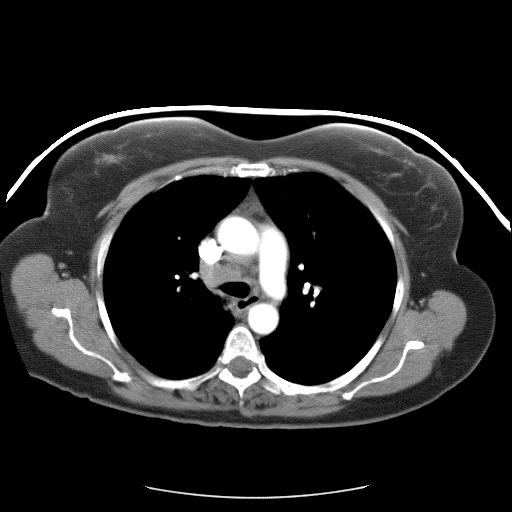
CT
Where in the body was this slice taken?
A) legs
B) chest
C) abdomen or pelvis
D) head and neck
Answer: B) chest
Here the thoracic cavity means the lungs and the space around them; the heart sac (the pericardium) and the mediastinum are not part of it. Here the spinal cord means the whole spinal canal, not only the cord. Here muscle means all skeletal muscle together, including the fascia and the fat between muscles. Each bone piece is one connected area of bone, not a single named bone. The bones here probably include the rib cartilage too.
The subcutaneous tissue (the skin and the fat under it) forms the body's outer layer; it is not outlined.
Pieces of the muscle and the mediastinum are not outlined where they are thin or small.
The thoracic cavity is outlined by [[301,171],[330,177],[361,202],[393,251],[391,311],[372,345],[317,384],[269,367],[259,342],[279,325],[291,251],[251,183],[197,246],[199,277],[233,317],[220,353],[193,376],[152,373],[118,339],[103,293],[110,244],[126,215],[184,178],[252,182]]. The mediastinum is outlined by [[251,184],[265,210],[284,233],[290,251],[290,264],[286,277],[287,293],[279,308],[278,325],[274,331],[262,337],[258,344],[246,325],[242,323],[234,325],[233,315],[224,309],[220,298],[206,287],[200,277],[198,251],[200,241],[217,222],[244,198]]. The bones appear in 8 outlined pieces: piece 1: [[237,324],[248,328],[274,373],[302,385],[317,385],[342,375],[379,335],[385,338],[368,365],[338,389],[274,394],[262,386],[261,378],[244,390],[240,404],[238,390],[216,376],[187,390],[154,386],[139,372],[173,380],[201,374],[215,364],[227,335]]; inner edge: [[239,356],[241,356],[243,357],[251,363],[251,370],[249,372],[248,372],[245,376],[243,376],[242,377],[239,377],[238,376],[236,376],[234,375],[230,371],[229,369],[229,367],[228,366],[230,362],[233,359]]; piece 2: [[259,161],[263,161],[270,166],[279,169],[284,167],[297,167],[301,169],[297,172],[290,172],[285,175],[265,177],[238,177],[222,176],[216,174],[200,174],[184,177],[154,190],[174,175],[188,169],[212,165],[230,166],[236,165],[241,162]]; piece 3: [[53,307],[67,307],[70,310],[73,333],[76,339],[86,349],[103,356],[120,371],[127,372],[131,377],[131,381],[122,382],[114,380],[112,378],[112,369],[104,361],[97,357],[85,354],[78,349],[69,337],[68,321],[64,317],[54,315],[51,312]]; piece 4: [[409,340],[422,341],[424,346],[418,349],[409,349],[406,353],[404,361],[400,369],[396,373],[383,380],[373,382],[363,386],[349,400],[342,398],[341,396],[342,393],[350,391],[360,383],[374,377],[382,376],[391,371],[398,364],[402,355],[404,346]]; piece 5: [[96,291],[98,291],[103,295],[105,308],[106,309],[110,323],[112,326],[112,328],[116,335],[118,345],[119,346],[119,349],[117,349],[113,345],[104,328],[104,326],[100,318],[100,315],[98,310],[98,306],[97,305],[97,301],[96,300]]; piece 6: [[113,227],[115,227],[115,231],[113,234],[113,236],[109,244],[109,247],[107,251],[107,254],[104,261],[102,276],[100,278],[98,278],[97,276],[97,254],[98,253],[98,250],[99,249],[100,242],[104,234],[105,234],[111,228]]; piece 7: [[364,201],[366,201],[374,206],[389,223],[389,225],[391,228],[391,230],[393,234],[393,238],[394,239],[394,244],[395,245],[394,250],[393,250],[391,246],[391,244],[388,238],[386,236],[384,231],[382,229],[370,210],[366,206],[366,205],[364,203]]; piece 8: [[399,274],[400,274],[403,278],[404,290],[403,291],[403,296],[402,297],[399,308],[395,316],[394,317],[392,317],[391,316],[391,312],[392,311],[392,307],[393,306],[393,302],[394,301],[394,296],[395,295],[395,290],[396,289],[397,278]]. The torso is outlined by [[154,118],[201,119],[254,139],[318,125],[360,126],[442,165],[464,204],[456,257],[486,281],[495,303],[493,337],[479,364],[411,412],[363,425],[308,429],[211,427],[146,417],[32,377],[6,313],[0,240],[42,213],[51,168],[68,147],[96,132]]. The muscle is outlined by [[225,155],[240,156],[252,161],[273,156],[318,160],[352,175],[379,196],[408,233],[407,235],[402,232],[400,237],[407,255],[410,298],[413,302],[420,306],[423,298],[428,297],[435,290],[444,289],[458,295],[467,310],[465,325],[452,348],[435,362],[432,371],[424,379],[390,394],[354,399],[337,411],[313,417],[242,415],[235,409],[179,410],[143,405],[124,399],[112,392],[103,378],[72,369],[35,345],[31,336],[32,330],[26,326],[16,308],[10,287],[10,275],[17,262],[27,254],[43,252],[52,257],[55,269],[62,278],[70,276],[85,282],[83,276],[88,274],[89,253],[105,221],[103,216],[98,218],[96,216],[125,185],[148,171],[176,161],[201,156]]; inner edges: [[259,161],[324,174],[363,204],[374,206],[389,223],[396,275],[402,276],[404,290],[395,316],[389,315],[379,333],[385,336],[383,343],[355,378],[330,392],[274,394],[262,386],[261,378],[244,390],[240,404],[238,390],[216,376],[194,390],[154,386],[139,372],[151,372],[118,339],[119,349],[113,345],[100,318],[96,291],[103,293],[103,277],[97,276],[101,239],[111,228],[116,230],[143,198],[182,171]], then [[53,307],[67,307],[70,310],[73,333],[76,339],[86,349],[103,356],[120,371],[127,372],[131,377],[131,381],[122,382],[114,380],[112,378],[112,369],[104,361],[97,357],[85,354],[78,349],[69,337],[68,321],[64,317],[54,315],[51,312]], then [[409,340],[422,341],[424,346],[418,349],[409,349],[406,353],[404,361],[400,369],[396,373],[383,380],[373,382],[363,386],[349,400],[342,398],[341,396],[342,393],[350,391],[360,383],[374,377],[382,376],[391,371],[398,364],[402,355],[404,346]]. The spinal cord is outlined by [[239,356],[241,356],[243,357],[251,363],[251,370],[249,372],[248,372],[245,376],[243,376],[242,377],[239,377],[238,376],[236,376],[234,375],[230,371],[229,369],[229,367],[228,366],[230,362],[233,359]].